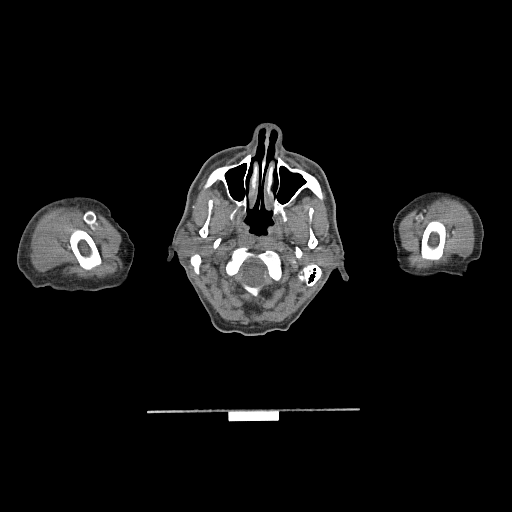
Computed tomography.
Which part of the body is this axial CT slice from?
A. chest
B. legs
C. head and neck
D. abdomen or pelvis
Answer: C. head and neck
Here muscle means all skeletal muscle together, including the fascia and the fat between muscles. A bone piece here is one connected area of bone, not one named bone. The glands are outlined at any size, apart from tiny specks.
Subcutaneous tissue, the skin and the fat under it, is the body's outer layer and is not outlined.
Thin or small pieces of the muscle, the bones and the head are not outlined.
The right arm is outlined by [[68,196],[87,196],[101,201],[109,208],[115,220],[128,233],[134,244],[134,255],[128,278],[121,285],[103,288],[95,291],[64,291],[55,290],[49,286],[36,288],[30,284],[18,269],[16,263],[16,255],[19,240],[26,224],[32,215],[46,203]]. The muscle appears in 3 outlined pieces: piece 1: [[248,149],[252,152],[238,161],[214,168],[202,187],[221,181],[235,205],[228,218],[233,220],[241,207],[249,232],[265,235],[272,217],[279,214],[287,221],[285,208],[304,189],[324,199],[318,179],[290,165],[282,153],[320,176],[331,235],[319,248],[326,264],[323,274],[314,262],[296,273],[307,287],[321,278],[313,292],[289,317],[257,327],[231,324],[220,317],[186,261],[197,241],[188,222],[200,180],[216,161]], around holes outlined by [[239,247],[247,247],[249,250],[255,252],[261,252],[265,250],[275,251],[279,255],[282,261],[282,275],[280,279],[277,281],[272,280],[256,296],[246,291],[242,287],[240,281],[235,276],[227,274],[225,270],[226,263],[230,258],[231,253],[236,248]] and by [[210,199],[212,200],[212,210],[211,211],[211,214],[210,215],[210,219],[208,223],[208,233],[207,234],[207,236],[204,238],[202,237],[199,234],[198,232],[199,230],[202,227],[202,226],[205,223],[207,219],[207,217],[208,216],[208,201]] and by [[195,253],[197,253],[198,254],[199,254],[200,255],[200,256],[202,259],[202,262],[200,265],[200,268],[199,269],[199,273],[198,274],[195,273],[195,272],[194,271],[194,269],[193,268],[192,265],[190,263],[190,257],[193,254],[194,254]] and by [[310,226],[312,229],[312,231],[313,232],[314,235],[316,237],[316,238],[318,241],[318,243],[317,244],[317,245],[314,248],[313,248],[312,249],[309,248],[309,247],[307,245],[307,243],[308,242],[308,240],[309,239],[309,227]] and by [[296,246],[297,246],[301,250],[301,251],[302,252],[302,255],[301,256],[301,257],[300,258],[297,258],[296,257],[296,256],[295,255],[295,247]] and by [[218,238],[220,238],[221,239],[221,240],[220,241],[220,242],[219,243],[219,244],[218,245],[218,246],[216,248],[214,248],[213,247],[213,243],[214,242],[214,241],[215,240],[216,240]] and by [[311,207],[313,209],[313,212],[312,213],[312,217],[311,218],[311,222],[310,223],[309,222],[309,209]]; piece 2: [[76,205],[87,205],[98,208],[120,233],[122,239],[120,245],[121,256],[124,266],[121,271],[103,278],[81,278],[74,274],[62,274],[60,267],[48,270],[45,273],[40,273],[34,269],[30,262],[29,253],[31,235],[36,223],[40,217],[51,208]] with a hole at [[76,229],[81,229],[82,230],[84,230],[90,235],[90,236],[93,239],[97,247],[97,249],[99,252],[99,254],[101,258],[101,263],[99,265],[97,265],[89,270],[86,270],[84,269],[79,264],[70,246],[70,243],[69,242],[70,235],[72,232]]; piece 3: [[442,196],[446,196],[458,200],[467,208],[471,214],[473,220],[475,237],[473,250],[471,254],[462,259],[460,264],[446,263],[421,270],[411,268],[408,266],[406,261],[407,253],[402,248],[401,245],[398,230],[399,223],[402,218],[416,206],[425,206]] with a hole at [[432,220],[437,220],[441,222],[445,226],[445,242],[443,246],[443,252],[442,253],[442,255],[441,257],[437,260],[430,260],[429,259],[425,259],[424,258],[422,258],[421,256],[421,239],[422,238],[422,235],[423,234],[423,232],[427,224],[430,221]]. The parotid glands appear in 2 outlined pieces: piece 1: [[187,224],[189,224],[193,228],[194,234],[196,238],[196,241],[195,242],[195,244],[189,253],[186,256],[186,257],[184,257],[184,256],[182,255],[179,251],[178,251],[178,247],[176,244],[176,242],[177,241],[177,238],[180,231],[182,229],[185,228]]; piece 2: [[328,235],[329,236],[331,236],[331,237],[334,240],[335,245],[337,247],[337,252],[333,254],[333,257],[329,260],[327,264],[322,259],[320,255],[320,248],[324,245],[325,243],[324,241],[324,239],[326,237],[326,236]]. The bones appear in 8 outlined pieces: piece 1: [[267,134],[269,137],[266,164],[274,156],[275,148],[278,155],[290,166],[300,168],[317,179],[323,199],[321,200],[309,188],[304,188],[284,208],[287,219],[283,221],[279,213],[273,216],[272,210],[262,203],[263,181],[260,179],[253,206],[248,207],[246,212],[239,207],[233,219],[230,219],[229,215],[236,205],[228,197],[224,184],[218,179],[204,189],[206,180],[214,169],[236,163],[254,150],[253,159],[260,166]], around holes outlined by [[281,167],[284,167],[289,172],[293,174],[297,174],[299,175],[303,180],[303,183],[302,183],[295,190],[293,194],[287,200],[287,201],[283,203],[281,203],[276,196],[276,195],[278,193],[280,189],[280,181],[281,180],[281,175],[280,174],[280,168]] and by [[243,164],[245,164],[246,166],[245,167],[245,170],[242,177],[242,186],[246,191],[245,192],[245,194],[241,199],[236,199],[230,192],[230,190],[229,189],[229,185],[226,178],[226,174],[230,170],[232,170],[235,168],[237,168],[239,166],[241,166]] and by [[274,170],[275,170],[275,171],[276,172],[276,179],[277,180],[277,181],[278,182],[278,184],[276,186],[276,189],[275,189],[274,190],[274,176],[273,175],[273,174],[274,173]] and by [[251,166],[252,166],[252,171],[251,172],[251,174],[250,175],[250,177],[249,178],[249,180],[248,181],[248,184],[247,185],[247,187],[247,177],[248,176],[248,175],[249,174],[249,169],[251,167]]; piece 2: [[239,247],[247,247],[249,250],[255,252],[261,252],[265,250],[275,251],[279,255],[282,261],[282,275],[280,279],[277,281],[272,280],[256,296],[246,291],[242,287],[240,281],[235,276],[227,274],[225,270],[226,263],[230,258],[231,253],[236,248]] with a hole at [[249,258],[255,258],[256,259],[258,259],[260,260],[265,266],[267,270],[267,278],[263,283],[261,284],[259,284],[258,285],[250,285],[242,281],[240,279],[240,277],[239,276],[239,271],[240,270],[240,268],[242,264]]; piece 3: [[76,229],[81,229],[82,230],[84,230],[90,235],[90,236],[93,239],[97,247],[97,249],[99,252],[99,254],[101,258],[101,263],[99,265],[97,265],[89,270],[86,270],[84,269],[79,264],[70,246],[70,243],[69,242],[70,235],[72,232]]; piece 4: [[432,220],[437,220],[441,222],[445,226],[445,242],[443,246],[443,252],[442,253],[442,255],[441,257],[437,260],[430,260],[429,259],[425,259],[424,258],[422,258],[421,256],[421,239],[422,238],[422,235],[423,234],[423,232],[427,224],[430,221]]; piece 5: [[310,263],[314,263],[318,265],[321,268],[322,270],[322,275],[321,277],[313,285],[311,286],[307,286],[306,284],[303,281],[301,281],[298,278],[297,276],[297,273],[298,271],[302,267]]; piece 6: [[210,199],[212,200],[212,210],[211,211],[211,214],[210,215],[210,219],[208,223],[208,233],[207,234],[207,236],[204,238],[202,237],[199,234],[198,232],[199,230],[202,227],[202,226],[205,223],[207,219],[207,217],[208,216],[208,201]]; piece 7: [[195,253],[197,253],[198,254],[199,254],[200,255],[200,256],[202,259],[202,262],[200,265],[200,268],[199,269],[199,273],[198,274],[195,273],[195,272],[194,271],[194,269],[193,268],[192,265],[190,263],[190,257],[193,254],[194,254]]; piece 8: [[310,226],[312,229],[312,231],[313,232],[314,235],[316,237],[316,238],[318,241],[318,243],[317,244],[317,245],[314,248],[313,248],[312,249],[309,248],[309,247],[307,245],[307,243],[308,242],[308,240],[309,239],[309,227]]. The left arm is outlined by [[431,190],[446,190],[462,196],[472,204],[482,221],[484,234],[481,255],[478,259],[472,261],[468,265],[467,271],[462,276],[447,273],[439,273],[427,280],[418,279],[406,274],[398,266],[392,229],[392,223],[395,215],[404,205],[414,197]]. The brain is outlined by [[249,258],[255,258],[256,259],[258,259],[260,260],[265,266],[267,270],[267,278],[263,283],[261,284],[259,284],[258,285],[250,285],[242,281],[240,279],[240,277],[239,276],[239,271],[240,270],[240,268],[242,264]]. The head is outlined by [[262,122],[276,124],[287,150],[313,160],[324,171],[335,201],[336,224],[348,280],[344,281],[334,270],[286,330],[273,330],[262,335],[222,332],[211,323],[177,255],[166,261],[168,246],[182,216],[188,189],[203,163],[222,149],[245,145],[256,126]], around holes outlined by [[260,180],[262,181],[261,203],[262,204],[263,203],[264,207],[266,209],[271,210],[272,212],[271,217],[272,223],[267,227],[267,231],[265,234],[256,234],[250,232],[249,226],[245,221],[248,208],[252,208],[256,202],[258,196],[258,188],[260,184]] and by [[281,167],[284,167],[289,172],[293,174],[297,174],[299,175],[303,180],[303,183],[302,183],[295,190],[293,194],[287,200],[287,201],[283,203],[281,203],[276,196],[276,195],[278,193],[280,189],[280,181],[281,180],[281,175],[280,174],[280,168]] and by [[243,164],[245,164],[246,166],[245,167],[245,170],[242,177],[242,186],[246,191],[245,192],[245,194],[241,199],[236,199],[230,192],[230,190],[229,189],[229,185],[226,178],[226,174],[230,170],[232,170],[235,168],[237,168],[239,166],[241,166]] and by [[261,130],[264,130],[265,132],[264,133],[265,134],[265,138],[264,139],[264,152],[262,156],[262,159],[260,162],[260,165],[259,162],[255,158],[254,159],[254,158],[256,156],[256,150],[257,149],[257,147],[258,146],[258,142],[259,141],[259,134]] and by [[272,131],[275,131],[277,134],[277,136],[276,137],[276,139],[275,140],[275,142],[274,143],[274,152],[273,153],[273,156],[271,158],[271,159],[268,162],[268,163],[267,164],[267,154],[268,153],[268,146],[269,145],[269,138],[270,137],[270,134]] and by [[274,170],[275,170],[275,171],[276,172],[276,179],[277,180],[277,181],[278,182],[278,184],[276,186],[276,189],[275,189],[274,190],[274,176],[273,175],[273,174],[274,173]] and by [[251,166],[252,166],[252,171],[251,172],[251,174],[250,175],[250,177],[249,178],[249,180],[248,181],[248,184],[247,185],[247,187],[247,177],[248,176],[248,175],[249,174],[249,169],[251,167]].